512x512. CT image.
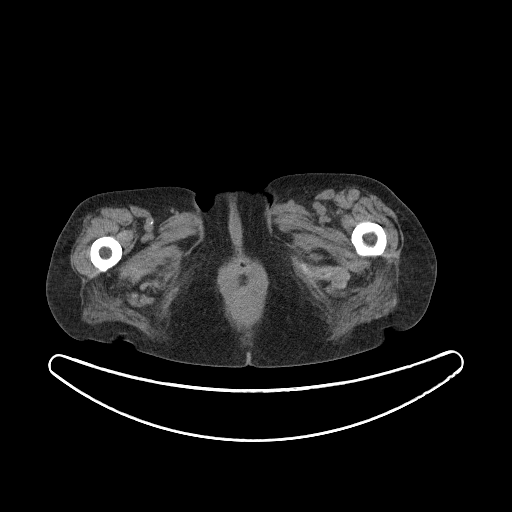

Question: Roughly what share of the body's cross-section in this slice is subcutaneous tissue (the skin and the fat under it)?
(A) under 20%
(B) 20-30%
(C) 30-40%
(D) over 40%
Answer: (D) over 40%
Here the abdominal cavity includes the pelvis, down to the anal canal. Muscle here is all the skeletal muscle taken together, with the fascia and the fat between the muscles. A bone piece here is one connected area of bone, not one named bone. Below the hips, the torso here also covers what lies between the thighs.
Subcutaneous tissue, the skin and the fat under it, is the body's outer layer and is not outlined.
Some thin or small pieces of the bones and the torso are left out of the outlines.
The bones appear in 2 outlined pieces: piece 1: 361 221; 371 221; 372 222; 375 222; 379 224; 384 229; 384 231; 386 234; 386 240; 387 241; 386 242; 386 246; 383 251; 383 253; 381 255; 378 255; 377 256; 361 256; 356 252; 355 248; 351 241; 351 233; 354 227; 359 222; piece 2: 106 235; 109 235; 110 236; 114 237; 119 242; 122 248; 122 256; 120 260; 115 265; 109 268; 106 271; 102 272; 100 271; 92 263; 90 259; 90 255; 89 253; 90 252; 90 246; 92 242; 95 239; 102 236; 105 236. The abdominal cavity is outlined by 228 268; 238 270; 258 270; 263 276; 264 288; 262 290; 263 294; 262 301; 259 308; 259 312; 252 323; 248 325; 247 327; 242 327; 241 324; 235 319; 235 317; 233 315; 234 311; 231 307; 227 295; 223 289; 222 284; 223 274. The muscle appears in 3 outlined pieces: piece 1: 337 186; 356 186; 365 189; 391 208; 397 215; 403 232; 403 247; 400 254; 396 308; 387 316; 362 324; 350 338; 333 343; 327 338; 336 324; 337 315; 324 294; 301 275; 293 261; 293 254; 275 235; 271 217; 274 204; 280 200, around holes outlined by 361 221; 371 221; 372 222; 375 222; 379 224; 384 229; 384 231; 386 234; 386 240; 387 241; 386 242; 386 246; 383 251; 383 253; 381 255; 378 255; 377 256; 361 256; 356 252; 355 248; 351 241; 351 233; 354 227; 359 222 and by 302 262; 303 262; 304 263; 305 263; 306 264; 306 265; 307 266; 307 268; 308 269; 308 272; 305 272; 299 266; 299 264; 300 263; 301 263; piece 2: 136 201; 149 201; 175 207; 182 211; 194 212; 200 217; 203 225; 202 239; 190 259; 163 294; 145 310; 145 317; 150 323; 149 335; 122 323; 89 325; 83 322; 79 313; 80 290; 69 263; 70 248; 75 234; 88 213; 107 205, around a hole outlined by 106 235; 109 235; 110 236; 114 237; 119 242; 122 248; 122 256; 120 260; 115 265; 109 268; 106 271; 102 272; 100 271; 92 263; 90 259; 90 255; 89 253; 90 252; 90 246; 92 242; 95 239; 102 236; 105 236; piece 3: 255 260; 259 261; 265 269; 269 279; 269 287; 263 315; 259 322; 260 325; 257 328; 256 333; 251 341; 243 342; 237 330; 231 325; 225 316; 223 298; 218 289; 216 279; 218 269; 226 263; 233 261; 241 266; 244 266; 246 262; inner edge: 228 268; 238 270; 258 270; 263 276; 264 288; 262 290; 263 294; 262 301; 259 308; 259 312; 252 323; 248 325; 247 327; 242 327; 241 324; 235 319; 235 317; 233 315; 234 311; 231 307; 227 295; 223 289; 222 284; 223 274. The left leg is outlined by 307 172; 361 174; 385 184; 416 215; 433 246; 437 260; 437 275; 428 307; 414 326; 403 331; 389 330; 385 341; 378 347; 332 361; 329 361; 324 356; 319 346; 303 302; 288 269; 274 247; 263 216; 264 194; 267 184; 283 175. The torso is outlined by 265 186; 262 203; 265 227; 275 251; 292 279; 318 346; 328 361; 277 368; 258 368; 251 365; 234 368; 211 367; 170 361; 184 325; 192 283; 199 270; 200 261; 207 245; 208 208; 212 204; 214 194; 223 189; 247 188; 253 190. The right leg is outlined by 154 186; 179 186; 194 191; 197 204; 203 210; 207 209; 208 216; 206 245; 191 283; 183 325; 169 360; 137 351; 129 342; 120 339; 105 343; 69 336; 54 319; 45 293; 46 275; 55 242; 72 211; 81 201; 102 192.